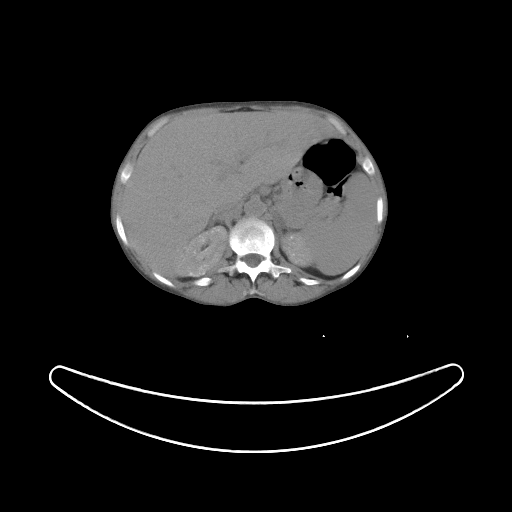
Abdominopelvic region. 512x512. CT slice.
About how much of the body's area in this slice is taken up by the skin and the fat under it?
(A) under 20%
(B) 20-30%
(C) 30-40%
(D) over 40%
Answer: (A) under 20%
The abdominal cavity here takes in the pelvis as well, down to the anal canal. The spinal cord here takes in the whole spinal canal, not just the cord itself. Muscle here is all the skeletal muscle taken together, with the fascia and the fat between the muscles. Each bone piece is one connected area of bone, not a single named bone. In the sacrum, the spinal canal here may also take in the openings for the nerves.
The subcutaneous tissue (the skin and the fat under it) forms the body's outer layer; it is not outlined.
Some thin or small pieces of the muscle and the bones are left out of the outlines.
Outlines (x, y in pixels):
spinal cord: 248 254; 258 254; 259 255; 260 255; 262 257; 263 257; 263 258; 255 266; 250 266; 249 265; 248 265; 242 259; 242 258; 244 256; 245 256; 246 255; 247 255
muscle 1: 276 243; 281 257; 286 262; 304 274; 318 278; 299 276; 297 280; 307 286; 319 284; 321 282; 320 279; 331 280; 340 277; 339 279; 343 282; 359 270; 349 280; 314 297; 298 302; 280 302; 255 294; 258 291; 252 287; 248 292; 249 294; 237 300; 217 303; 200 300; 171 288; 175 287; 171 280; 193 280; 191 281; 196 286; 209 285; 212 278; 206 275; 202 276; 212 271; 218 265; 228 245; 235 254; 235 258; 232 263; 220 266; 216 270; 219 273; 227 273; 230 276; 235 272; 244 273; 252 283; 255 282; 261 273; 267 273; 273 279; 276 279; 283 273; 289 274; 292 272; 291 267; 276 263; 272 259; 271 253
muscle 2: 277 104; 299 105; 322 110; 334 115; 347 126; 364 147; 370 157; 368 155; 365 155; 360 160; 358 152; 344 136; 347 133; 345 128; 332 116; 329 116; 326 119; 324 117; 303 111; 271 111; 243 107; 234 110; 188 115; 169 121; 167 121; 165 118; 159 120; 147 131; 148 137; 139 149; 134 162; 132 163; 128 161; 122 168; 125 160; 139 137; 154 121; 162 116; 174 112; 202 107
muscle 3: 374 163; 378 171; 384 190; 385 215; 378 240; 369 257; 361 267; 361 264; 358 262; 372 240; 374 232; 376 229; 376 223; 380 224; 384 218; 383 216; 384 212; 383 198; 381 196; 377 197; 374 184; 370 177; 375 173
muscle 4: 119 174; 119 180; 120 182; 122 184; 123 184; 123 189; 122 190; 122 193; 121 194; 121 215; 119 213; 117 213; 115 215; 115 217; 114 218; 114 224; 114 220; 113 219; 113 197; 114 196; 114 191; 115 190; 116 182; 117 181
muscle 5: 129 243; 133 249; 133 251; 135 252; 139 258; 149 268; 152 270; 151 271; 151 274; 155 279; 150 277; 147 274; 146 274; 138 266; 136 262; 134 261; 124 246; 124 245; 125 246; 128 246; 129 245
torso: 278 99; 308 101; 335 111; 349 123; 375 158; 387 189; 388 217; 379 247; 367 267; 346 287; 299 306; 280 306; 260 299; 248 299; 229 307; 214 307; 195 303; 152 285; 126 259; 109 217; 114 176; 135 136; 153 117; 180 105
bones 1: 248 217; 263 220; 273 229; 275 243; 270 253; 271 259; 276 264; 291 268; 291 272; 283 272; 276 278; 267 272; 261 272; 252 282; 244 272; 235 271; 230 275; 227 272; 217 270; 235 261; 236 254; 228 242; 229 232; 239 220, around a hole outlined by 248 254; 258 254; 259 255; 260 255; 262 257; 263 257; 263 258; 255 266; 250 266; 249 265; 248 265; 242 259; 242 258; 244 256; 245 256; 246 255; 247 255
bones 2: 117 214; 119 214; 121 216; 121 220; 123 224; 124 231; 125 232; 126 237; 128 240; 128 245; 125 245; 122 242; 121 239; 119 237; 117 233; 117 231; 116 230; 116 225; 115 224; 115 218
bones 3: 365 156; 368 156; 370 158; 371 158; 371 159; 372 160; 372 162; 373 163; 373 165; 374 166; 374 173; 372 175; 369 175; 365 171; 365 170; 362 167; 362 165; 361 164; 361 161; 362 160; 362 159
bones 4: 128 162; 131 163; 133 165; 132 166; 132 170; 131 171; 131 173; 130 174; 130 175; 129 176; 128 179; 126 181; 126 182; 125 183; 122 183; 120 180; 120 172; 121 171; 121 170; 124 167; 124 166
bones 5: 378 197; 381 197; 382 198; 382 200; 383 201; 383 212; 382 213; 382 216; 383 217; 383 218; 382 219; 382 221; 380 223; 378 223; 377 222; 377 220; 376 219; 376 201; 377 200; 377 198
bones 6: 152 271; 155 271; 156 272; 159 273; 164 277; 165 277; 166 278; 167 278; 169 280; 170 280; 173 283; 173 284; 174 285; 174 287; 169 287; 168 286; 165 285; 163 283; 162 283; 161 282; 158 281; 153 276; 153 275; 152 274
bones 7: 357 263; 359 263; 360 264; 360 267; 359 268; 359 269; 352 276; 351 276; 348 279; 347 279; 346 280; 344 280; 343 281; 342 281; 340 279; 340 278; 341 277; 341 276; 342 275; 343 275; 347 271; 348 271; 351 268; 352 268
bones 8: 299 277; 306 277; 307 278; 311 278; 312 279; 319 279; 320 280; 320 282; 317 284; 313 284; 312 285; 307 285; 306 284; 305 284; 304 283; 303 283; 302 282; 301 282; 300 281; 299 281; 298 280; 298 279; 299 278
bones 9: 329 117; 332 117; 334 119; 335 119; 344 128; 344 129; 345 130; 345 131; 346 132; 346 133; 344 135; 343 135; 342 134; 341 134; 338 131; 338 130; 336 128; 336 127; 334 125; 334 124; 333 123; 332 123; 328 119; 328 118
bones 10: 163 119; 165 119; 166 120; 166 121; 165 122; 164 122; 150 136; 149 136; 148 135; 148 131; 155 124; 156 124; 159 121; 160 121; 161 120; 162 120
abdominal cavity: 243 108; 303 112; 327 119; 357 152; 375 191; 376 222; 365 251; 340 276; 311 276; 286 261; 279 251; 274 229; 254 216; 243 217; 231 227; 221 260; 197 278; 166 277; 134 251; 122 220; 122 194; 146 140; 164 123; 178 118